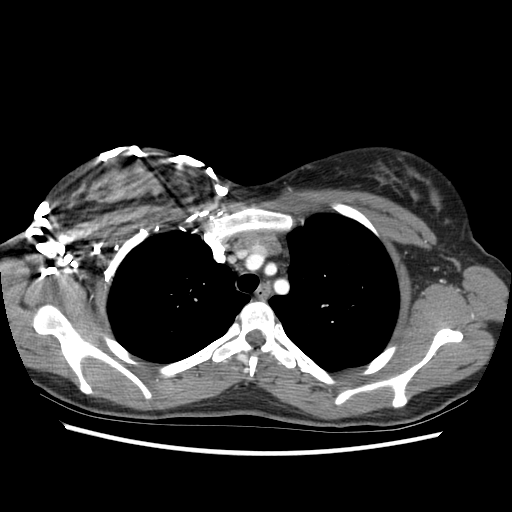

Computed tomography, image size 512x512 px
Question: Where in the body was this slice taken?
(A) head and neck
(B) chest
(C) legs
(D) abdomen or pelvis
Answer: (B) chest
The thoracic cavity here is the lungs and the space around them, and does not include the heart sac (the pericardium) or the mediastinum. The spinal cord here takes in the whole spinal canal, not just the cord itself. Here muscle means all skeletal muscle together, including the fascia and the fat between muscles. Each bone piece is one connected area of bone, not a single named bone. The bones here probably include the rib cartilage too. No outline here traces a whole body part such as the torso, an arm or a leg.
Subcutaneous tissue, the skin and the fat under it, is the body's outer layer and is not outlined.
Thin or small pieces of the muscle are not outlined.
{"muscle":[{"outer":[[288,185],[366,190],[385,195],[420,217],[437,238],[429,250],[411,252],[409,270],[421,288],[455,282],[465,268],[476,264],[492,269],[503,280],[509,290],[503,320],[491,327],[492,348],[473,374],[409,400],[406,395],[407,384],[441,346],[462,341],[459,329],[445,326],[435,332],[421,359],[405,370],[345,388],[333,399],[339,406],[359,393],[388,387],[394,408],[325,419],[303,413],[250,381],[173,408],[139,410],[88,395],[94,390],[83,373],[86,358],[125,376],[146,400],[152,393],[121,362],[86,340],[51,303],[37,308],[31,325],[37,334],[57,339],[78,388],[67,378],[24,364],[8,319],[0,258],[18,255],[65,229],[120,208],[240,196],[270,198]],"hole":[[332,202],[366,216],[395,268],[399,310],[387,344],[396,349],[376,372],[360,374],[364,365],[330,372],[337,382],[327,384],[298,366],[286,367],[267,352],[259,355],[252,376],[248,356],[240,353],[164,377],[157,371],[160,363],[133,355],[138,364],[130,364],[108,348],[101,333],[114,337],[106,313],[113,282],[105,284],[103,271],[140,228],[152,234],[176,227],[208,233],[211,218],[244,207],[299,220],[332,212]]}],"mediastinum":[[[260,229],[287,234],[286,241],[289,252],[287,269],[289,291],[287,294],[273,295],[269,298],[268,303],[263,300],[250,301],[248,294],[238,291],[235,287],[234,272],[224,263],[215,260],[212,248],[204,240],[204,233],[208,233],[214,240],[244,231]]],"spinal_cord":[[[253,330],[259,330],[261,332],[261,333],[263,335],[263,336],[264,337],[264,342],[261,345],[260,345],[259,346],[254,346],[253,345],[252,345],[251,344],[250,344],[246,340],[246,335],[249,332],[250,332],[251,331],[252,331]]],"bones":[{"outer":[[252,301],[268,304],[290,340],[328,372],[337,381],[335,384],[322,382],[298,366],[288,368],[268,352],[259,355],[252,376],[249,375],[249,358],[243,353],[219,362],[208,359],[170,377],[164,377],[157,371],[159,366],[184,359],[221,337],[242,308]],"hole":[[253,330],[259,330],[261,332],[261,333],[263,335],[263,336],[264,337],[264,342],[261,345],[260,345],[259,346],[254,346],[253,345],[252,345],[251,344],[250,344],[246,340],[246,335],[249,332],[250,332],[251,331],[252,331]]},[[45,304],[55,306],[86,341],[110,355],[133,373],[150,391],[151,398],[146,399],[138,386],[125,375],[92,357],[84,358],[81,367],[93,394],[83,393],[79,389],[76,374],[61,351],[58,339],[51,334],[37,333],[32,325],[34,314],[39,307]],[[252,205],[264,209],[289,214],[295,220],[299,220],[299,223],[289,232],[283,233],[274,229],[260,228],[259,229],[244,230],[229,236],[214,239],[209,234],[209,232],[212,229],[211,218],[218,215],[231,214],[242,209],[244,207]],[[445,327],[459,330],[463,335],[461,341],[444,343],[417,370],[406,384],[405,395],[408,401],[405,405],[397,408],[391,405],[393,391],[388,386],[359,392],[339,405],[334,402],[336,396],[345,389],[389,378],[405,371],[420,361],[425,355],[436,332]],[[142,227],[145,230],[151,233],[144,240],[132,248],[127,253],[117,267],[115,271],[115,273],[113,276],[112,281],[110,280],[105,284],[103,271],[106,268],[109,261],[113,257],[114,254],[117,251],[119,246],[120,246],[125,240],[131,237]],[[332,202],[341,202],[342,203],[350,205],[357,209],[363,214],[364,214],[373,224],[373,225],[378,231],[380,235],[380,239],[369,229],[365,227],[359,222],[351,218],[349,218],[346,216],[344,216],[335,211],[333,211],[330,205],[330,204]],[[393,344],[395,344],[396,345],[396,349],[391,358],[383,367],[382,367],[376,372],[372,373],[371,374],[367,374],[366,375],[362,375],[360,374],[360,372],[364,369],[365,366],[367,364],[368,364],[374,358],[380,354],[388,345],[392,345]],[[102,332],[104,332],[109,336],[114,338],[128,352],[129,352],[132,355],[132,357],[138,362],[138,364],[137,365],[134,365],[133,364],[127,363],[121,360],[116,356],[115,356],[110,351],[105,341],[103,339],[103,337],[101,335],[101,333]]],"thoracic_cavity":[[[316,212],[335,212],[359,223],[378,238],[393,262],[399,287],[398,315],[387,345],[365,365],[334,372],[329,372],[321,367],[291,340],[269,304],[269,300],[273,296],[287,295],[290,291],[288,277],[290,265],[288,233],[300,223],[300,219]],[[176,227],[194,228],[203,233],[203,240],[211,248],[214,260],[220,264],[224,264],[233,272],[235,289],[248,295],[249,301],[241,308],[221,336],[184,358],[161,364],[133,355],[114,337],[106,313],[106,302],[116,271],[128,253],[151,234],[164,234]]]}